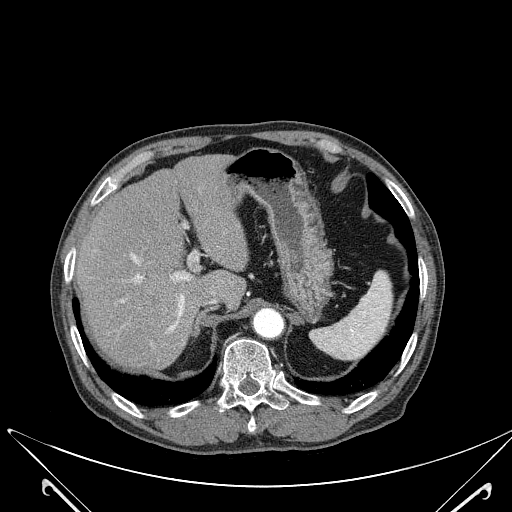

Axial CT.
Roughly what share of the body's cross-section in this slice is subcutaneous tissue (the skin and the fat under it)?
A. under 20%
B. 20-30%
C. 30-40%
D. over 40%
Answer: A. under 20%
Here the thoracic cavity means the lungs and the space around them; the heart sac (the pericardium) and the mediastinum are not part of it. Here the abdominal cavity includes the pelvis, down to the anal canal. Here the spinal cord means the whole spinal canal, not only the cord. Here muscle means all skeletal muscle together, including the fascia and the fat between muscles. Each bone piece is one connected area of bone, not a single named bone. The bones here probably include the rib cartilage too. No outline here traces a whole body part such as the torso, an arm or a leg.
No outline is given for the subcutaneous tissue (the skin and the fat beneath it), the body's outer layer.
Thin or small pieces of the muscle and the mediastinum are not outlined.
The muscle appears in 2 outlined pieces: piece 1: [[275,130],[308,130],[331,135],[339,139],[345,144],[347,144],[349,146],[365,153],[379,162],[396,178],[408,192],[414,204],[420,212],[421,219],[423,222],[423,228],[428,239],[429,244],[431,246],[430,250],[435,266],[436,299],[434,305],[434,312],[432,317],[432,321],[430,324],[430,332],[426,343],[426,347],[418,366],[407,380],[398,394],[388,404],[370,416],[356,422],[346,431],[334,438],[315,442],[312,441],[292,441],[291,440],[286,440],[286,438],[282,436],[274,436],[265,431],[262,434],[257,435],[241,434],[237,439],[232,442],[219,441],[215,444],[204,444],[203,445],[179,444],[165,438],[154,435],[117,415],[98,401],[85,388],[81,382],[81,380],[75,369],[71,352],[65,338],[65,332],[62,323],[62,318],[60,315],[59,294],[61,290],[61,277],[62,276],[62,265],[60,262],[61,250],[64,241],[75,221],[76,216],[82,204],[94,186],[101,177],[113,165],[134,150],[152,142],[177,137],[205,136],[206,135],[234,134],[235,133],[252,133],[253,132],[274,131]], around a hole outlined by [[238,137],[314,148],[311,139],[333,141],[342,148],[340,156],[394,182],[413,208],[415,217],[409,222],[427,270],[426,292],[417,304],[413,326],[417,342],[403,369],[394,376],[398,361],[372,388],[379,391],[377,396],[350,414],[341,411],[352,400],[345,397],[321,395],[321,404],[311,405],[287,395],[284,409],[263,402],[254,409],[256,430],[250,433],[250,413],[242,405],[222,412],[215,409],[222,391],[215,382],[196,398],[200,405],[186,414],[170,417],[169,406],[139,405],[146,417],[139,418],[115,404],[112,389],[92,365],[84,364],[73,343],[69,329],[75,321],[73,287],[64,280],[63,266],[98,205],[90,202],[104,179],[146,150],[155,151],[153,160]]; piece 2: [[138,166],[139,166],[139,167],[138,167],[137,168],[137,169],[136,169],[135,170],[135,171],[131,175],[130,175],[126,179],[125,179],[123,181],[123,180],[124,179],[124,178],[129,173],[130,173],[135,168],[136,168]]. The bones appear in 11 outlined pieces: piece 1: [[234,335],[264,343],[273,366],[281,369],[298,389],[320,396],[321,404],[301,403],[287,395],[289,403],[284,409],[274,409],[262,402],[252,413],[256,424],[253,433],[247,430],[250,413],[242,405],[222,412],[215,409],[222,391],[217,384],[222,355]]; inner edge: [[247,378],[249,378],[252,380],[254,380],[255,381],[256,381],[259,385],[259,387],[258,388],[258,389],[254,393],[253,393],[252,394],[250,394],[249,395],[244,393],[239,389],[239,385],[240,384],[240,383],[242,381],[243,381]]; piece 2: [[146,150],[154,150],[155,151],[154,156],[147,162],[142,163],[135,167],[123,178],[122,181],[116,189],[109,193],[101,201],[100,201],[99,203],[92,206],[90,204],[91,199],[104,179],[120,167],[123,166],[134,156],[140,152],[142,152]]; piece 3: [[385,177],[390,179],[393,182],[394,182],[404,193],[413,208],[413,210],[415,214],[415,217],[414,218],[411,218],[410,219],[408,217],[405,211],[403,209],[402,206],[399,203],[399,202],[396,199],[390,190],[386,186],[382,180],[383,178]]; piece 4: [[373,389],[377,389],[379,391],[379,392],[377,396],[370,403],[369,403],[361,409],[359,409],[350,414],[346,414],[345,413],[343,413],[341,411],[341,409],[343,407],[347,405],[352,400],[364,394],[366,392],[370,390],[372,390]]; piece 5: [[111,390],[113,390],[116,393],[119,394],[124,398],[134,403],[140,409],[140,410],[145,415],[146,417],[145,418],[139,418],[138,417],[136,417],[130,414],[128,412],[125,411],[123,409],[119,407],[116,404],[115,404],[109,394],[109,392]]; piece 6: [[413,331],[416,331],[417,332],[417,335],[418,336],[417,338],[417,342],[416,343],[415,348],[409,360],[407,362],[407,363],[405,365],[403,369],[396,376],[394,376],[394,373],[396,371],[399,365],[399,360],[401,357],[401,355]]; piece 7: [[71,322],[74,322],[75,323],[76,327],[78,330],[78,332],[81,338],[81,341],[82,342],[82,344],[83,345],[85,353],[91,364],[91,366],[89,368],[88,368],[84,364],[71,338],[71,335],[70,334],[70,330],[69,329],[70,323]]; piece 8: [[194,399],[198,399],[200,401],[200,405],[194,408],[188,413],[186,414],[184,414],[178,417],[170,417],[166,413],[167,410],[170,407],[172,406],[175,406],[179,404],[182,404],[183,403],[188,402]]; piece 9: [[418,254],[419,254],[423,258],[423,259],[424,260],[424,262],[425,263],[425,265],[426,266],[426,269],[427,270],[427,287],[426,288],[426,292],[425,293],[425,296],[424,297],[424,298],[423,299],[423,300],[421,302],[419,302],[419,271],[418,270]]; piece 10: [[72,246],[75,246],[76,248],[76,251],[75,252],[75,262],[74,263],[74,268],[73,269],[73,275],[72,276],[72,279],[71,281],[69,283],[66,284],[64,280],[63,266],[64,265],[64,262],[65,261],[65,257],[66,256],[66,254],[69,249]]; piece 11: [[311,139],[315,139],[316,140],[318,139],[326,139],[327,140],[330,140],[331,141],[333,141],[337,144],[338,144],[342,148],[342,152],[338,154],[337,153],[332,153],[329,151],[327,151],[323,149],[320,149],[316,146],[314,142],[312,142],[311,141]]. The mediastinum appears in 2 outlined pieces: piece 1: [[258,304],[282,309],[288,315],[289,325],[284,336],[283,347],[287,366],[294,376],[292,377],[281,368],[274,366],[272,353],[264,342],[245,335],[237,336],[234,334],[229,338],[231,339],[225,345],[218,363],[216,355],[217,324],[219,322],[241,319]]; piece 2: [[327,152],[329,152],[332,154],[337,154],[340,156],[345,156],[350,159],[353,159],[357,161],[360,164],[365,167],[365,168],[368,171],[365,174],[365,176],[365,175],[362,173],[355,173],[353,174],[349,170],[349,166],[344,160],[335,155],[329,154]]. The abdominal cavity is outlined by [[238,137],[317,148],[364,175],[369,207],[391,224],[408,256],[411,279],[393,326],[331,381],[292,373],[284,347],[289,315],[262,303],[216,324],[215,355],[196,375],[173,381],[110,368],[90,344],[73,296],[76,247],[88,220],[140,166]]. The thoracic cavity appears in 2 outlined pieces: piece 1: [[369,171],[383,182],[401,206],[412,229],[418,271],[418,303],[413,330],[398,361],[371,389],[353,399],[318,395],[298,388],[286,374],[316,382],[331,382],[345,376],[390,333],[410,288],[412,274],[408,267],[408,252],[392,224],[369,205],[366,181]]; piece 2: [[73,297],[78,301],[81,325],[89,344],[97,356],[110,369],[124,375],[145,376],[150,379],[176,382],[201,373],[216,356],[218,364],[221,360],[221,371],[216,382],[196,398],[182,403],[171,406],[138,406],[112,389],[92,365],[75,321],[72,308]]. The spinal cord is outlined by [[247,378],[249,378],[252,380],[254,380],[255,381],[256,381],[259,385],[259,387],[258,388],[258,389],[254,393],[253,393],[252,394],[250,394],[249,395],[244,393],[239,389],[239,385],[240,384],[240,383],[242,381],[243,381]].